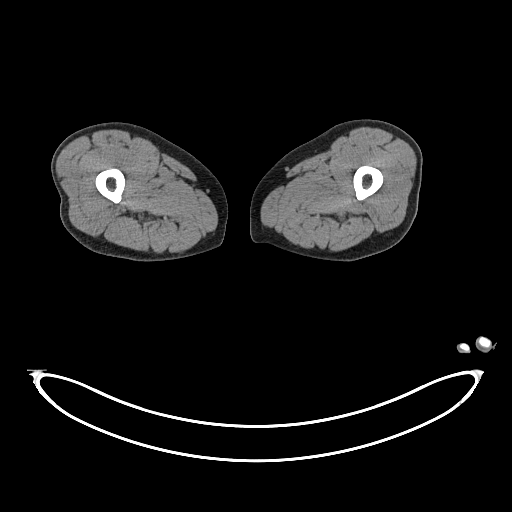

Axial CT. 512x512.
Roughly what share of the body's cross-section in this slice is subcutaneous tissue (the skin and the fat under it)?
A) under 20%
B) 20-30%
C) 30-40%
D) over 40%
B) 20-30%
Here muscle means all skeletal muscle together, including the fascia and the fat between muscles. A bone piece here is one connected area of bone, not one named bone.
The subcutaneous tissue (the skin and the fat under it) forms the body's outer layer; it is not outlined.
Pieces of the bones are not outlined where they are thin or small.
The left arm appears in 2 outlined pieces: piece 1: (480, 336) (483, 336) (484, 337) (486, 337) (488, 339) (489, 339) (489, 340) (491, 342) (491, 343) (492, 344) (493, 343) (494, 344) (494, 347) (488, 353) (482, 353) (481, 352) (479, 352) (475, 346) (475, 341) (476, 340) (476, 339) (478, 337) (479, 337); piece 2: (461, 343) (465, 343) (468, 346) (468, 347) (469, 348) (469, 352) (467, 352) (466, 351) (465, 352) (462, 352) (461, 353) (460, 353) (459, 352) (458, 352) (457, 351) (457, 345) (458, 344) (460, 344). The right leg is outlined by (110, 121) (129, 122) (152, 130) (192, 154) (214, 174) (223, 187) (228, 204) (228, 217) (225, 235) (219, 247) (180, 259) (142, 262) (98, 254) (84, 247) (70, 235) (63, 226) (59, 216) (60, 197) (54, 185) (50, 171) (52, 155) (61, 141) (74, 131) (92, 124). The bones appear in 3 outlined pieces: piece 1: (361, 165) (370, 165) (371, 166) (373, 166) (379, 169) (381, 171) (383, 175) (383, 182) (381, 186) (373, 194) (368, 196) (366, 198) (362, 200) (359, 200) (357, 199) (355, 195) (355, 191) (353, 187) (353, 175) (356, 169) (359, 166); piece 2: (111, 167) (118, 168) (123, 173) (124, 177) (125, 178) (125, 186) (124, 187) (124, 189) (123, 190) (123, 192) (121, 196) (121, 200) (118, 203) (115, 203) (111, 200) (103, 196) (98, 191) (95, 185) (95, 177) (96, 175) (102, 170) (104, 170) (105, 169) (107, 169); piece 3: (481, 336) (483, 336) (484, 337) (486, 337) (488, 339) (489, 339) (489, 340) (491, 342) (491, 345) (490, 346) (490, 347) (488, 347) (487, 348) (486, 347) (483, 347) (482, 346) (481, 346) (479, 344) (479, 343) (478, 342) (478, 339). The muscle appears in 2 outlined pieces: piece 1: (103, 129) (120, 129) (138, 134) (190, 166) (200, 183) (210, 191) (213, 196) (218, 215) (215, 230) (191, 249) (172, 254) (150, 254) (122, 247) (102, 239) (91, 237) (78, 230) (71, 223) (68, 216) (68, 197) (56, 173) (56, 160) (62, 149) (75, 138) (86, 132); inner edge: (111, 167) (118, 168) (123, 173) (124, 177) (125, 178) (125, 186) (124, 187) (124, 189) (123, 190) (123, 192) (121, 196) (121, 200) (118, 203) (115, 203) (111, 200) (103, 196) (98, 191) (95, 185) (95, 177) (96, 175) (102, 170) (104, 170) (105, 169) (107, 169); piece 2: (359, 126) (377, 127) (393, 132) (407, 142) (415, 153) (415, 175) (408, 196) (408, 204) (403, 221) (386, 235) (365, 240) (338, 253) (318, 253) (310, 251) (267, 233) (261, 225) (260, 208) (263, 200) (286, 168) (291, 167) (303, 157) (320, 150) (334, 139), around a hole outlined by (361, 165) (370, 165) (371, 166) (373, 166) (379, 169) (381, 171) (383, 175) (383, 182) (381, 186) (373, 194) (368, 196) (366, 198) (362, 200) (359, 200) (357, 199) (355, 195) (355, 191) (353, 187) (353, 175) (356, 169) (359, 166). The left leg is outlined by (362, 118) (383, 120) (400, 127) (417, 142) (421, 149) (423, 164) (418, 209) (414, 221) (404, 237) (397, 244) (383, 252) (349, 262) (331, 261) (307, 257) (286, 251) (267, 243) (253, 242) (249, 232) (249, 208) (253, 191) (264, 174) (290, 150) (317, 136) (335, 124).